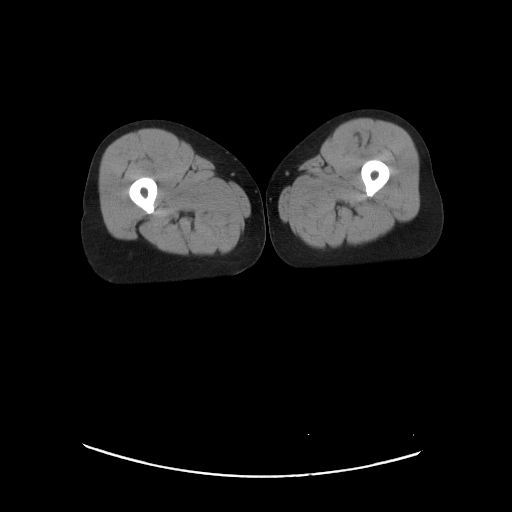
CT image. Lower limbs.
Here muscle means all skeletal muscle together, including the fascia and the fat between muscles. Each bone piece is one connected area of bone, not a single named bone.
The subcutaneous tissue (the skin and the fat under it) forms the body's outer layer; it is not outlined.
The left leg is outlined by (359, 108) (380, 108) (396, 113) (412, 124) (423, 138) (430, 153) (433, 174) (443, 202) (444, 223) (440, 239) (428, 254) (418, 259) (326, 269) (296, 269) (280, 259) (271, 243) (265, 222) (265, 193) (268, 181) (274, 169) (283, 157) (311, 131) (326, 120) (340, 113). The muscle appears in 2 outlined pieces: piece 1: (146, 127) (162, 128) (172, 132) (203, 152) (219, 164) (238, 181) (248, 196) (251, 206) (251, 215) (242, 242) (234, 251) (226, 256) (213, 259) (170, 256) (139, 243) (117, 240) (107, 231) (103, 222) (99, 205) (98, 174) (101, 157) (107, 146) (115, 139) (128, 132); inner edge: (142, 176) (148, 176) (149, 177) (151, 177) (156, 182) (156, 184) (157, 185) (157, 195) (156, 196) (156, 198) (154, 202) (154, 211) (152, 213) (150, 213) (149, 214) (139, 206) (135, 204) (130, 198) (129, 196) (129, 194) (128, 193) (128, 189) (130, 185) (136, 179); piece 2: (358, 117) (370, 117) (374, 119) (381, 119) (393, 122) (406, 130) (412, 138) (419, 155) (420, 165) (419, 211) (414, 219) (408, 222) (385, 240) (359, 249) (326, 252) (307, 247) (289, 234) (284, 223) (280, 219) (277, 207) (279, 193) (294, 167) (317, 143) (341, 123) with a hole at (370, 159) (378, 159) (385, 163) (389, 167) (389, 169) (390, 170) (390, 174) (389, 175) (389, 178) (386, 182) (386, 183) (372, 196) (369, 197) (368, 196) (366, 196) (366, 193) (365, 192) (365, 187) (364, 186) (364, 184) (361, 178) (360, 170) (364, 162). The bones appear in 2 outlined pieces: piece 1: (370, 159) (378, 159) (385, 163) (389, 167) (389, 169) (390, 170) (390, 174) (389, 175) (389, 178) (386, 182) (386, 183) (372, 196) (369, 197) (368, 196) (366, 196) (366, 193) (365, 192) (365, 187) (364, 186) (364, 184) (361, 178) (360, 170) (364, 162); piece 2: (142, 176) (148, 176) (149, 177) (151, 177) (156, 182) (156, 184) (157, 185) (157, 195) (156, 196) (156, 198) (154, 202) (154, 211) (152, 213) (150, 213) (149, 214) (139, 206) (135, 204) (130, 198) (129, 196) (129, 194) (128, 193) (128, 189) (130, 185) (136, 179). The right leg is outlined by (148, 118) (167, 119) (187, 125) (225, 147) (245, 165) (259, 188) (264, 204) (264, 222) (266, 227) (264, 249) (253, 266) (228, 277) (132, 285) (108, 283) (98, 277) (91, 269) (81, 244) (80, 220) (82, 216) (82, 196) (92, 156) (99, 143) (108, 133) (128, 122).